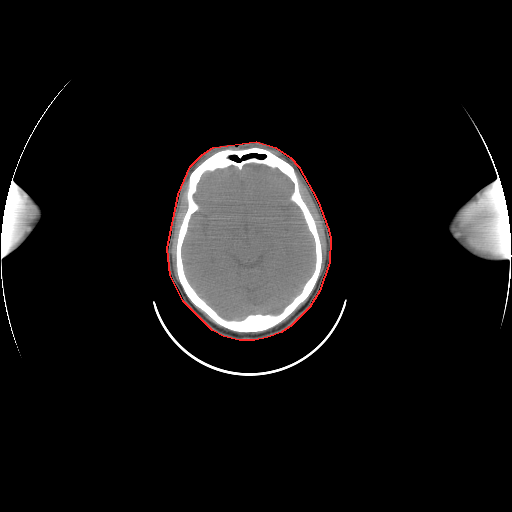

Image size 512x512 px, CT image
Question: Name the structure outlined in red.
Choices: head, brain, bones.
Answer: red: head.
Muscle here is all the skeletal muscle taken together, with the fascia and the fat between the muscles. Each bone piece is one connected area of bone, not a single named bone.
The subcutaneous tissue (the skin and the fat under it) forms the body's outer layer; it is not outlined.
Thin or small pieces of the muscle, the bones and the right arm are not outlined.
Outlines:
head: [[256,141],[275,147],[290,157],[298,166],[317,200],[328,229],[330,238],[329,262],[319,291],[309,307],[291,325],[281,332],[267,337],[254,340],[239,340],[223,336],[212,330],[183,301],[170,275],[167,248],[178,194],[190,166],[202,154],[213,147]]
muscle 1: [[497,180],[502,188],[503,195],[505,199],[509,227],[511,232],[511,260],[508,260],[507,259],[497,259],[496,258],[491,258],[480,255],[468,247],[461,239],[457,237],[452,228],[454,221],[458,213],[462,208],[473,200],[482,191],[484,192],[490,184]]
muscle 2: [[296,171],[307,188],[315,204],[320,220],[322,223],[322,226],[325,235],[324,264],[321,272],[322,261],[323,260],[322,244],[320,240],[320,236],[318,233],[318,229],[316,225],[316,221],[312,215],[307,204],[303,199],[300,192],[299,179],[296,173]]
muscle 3: [[187,180],[187,188],[185,193],[187,207],[178,229],[177,237],[176,238],[176,244],[175,245],[175,270],[177,278],[174,271],[174,265],[172,257],[172,244],[173,243],[173,237],[175,229],[175,221],[179,210],[179,206],[181,203],[181,198],[183,190]]
muscle 4: [[228,147],[229,147],[230,148],[245,148],[224,148],[223,149],[220,149],[219,150],[214,152],[212,154],[211,154],[209,156],[208,156],[206,158],[205,158],[210,153],[211,153],[213,151],[215,151],[218,149],[222,149],[223,148],[227,148]]
muscle 5: [[253,146],[263,146],[264,147],[266,147],[269,149],[271,149],[272,150],[273,150],[276,153],[277,153],[280,156],[279,156],[278,155],[277,155],[275,153],[274,153],[271,150],[270,150],[267,148],[265,148],[264,147],[260,147],[259,146]]
muscle 6: [[293,312],[294,312],[289,317],[289,318],[288,318],[285,321],[284,321],[283,322],[282,322],[287,317],[288,317]]
muscle 7: [[305,301],[305,302],[304,303],[303,304],[302,305],[301,306],[300,307],[299,308],[298,308],[297,309],[296,310],[295,311],[295,310],[296,309],[297,308],[298,307],[299,306],[300,305],[301,304],[302,303],[303,303],[304,302]]
bones: [[250,147],[267,149],[294,168],[298,179],[299,192],[315,221],[321,244],[322,260],[320,273],[311,293],[294,311],[281,322],[266,330],[237,332],[216,324],[188,298],[177,276],[176,245],[179,229],[188,207],[186,193],[191,172],[205,159],[220,150]], around a hole outlined by [[248,164],[258,164],[277,169],[291,182],[292,191],[289,199],[299,208],[313,238],[314,265],[300,291],[279,312],[250,313],[241,319],[229,319],[208,304],[189,282],[184,268],[182,246],[192,215],[200,208],[194,196],[204,174],[231,166],[240,170]]
left arm: [[495,180],[499,182],[502,188],[506,204],[509,227],[511,232],[511,260],[510,261],[507,259],[491,261],[480,259],[473,256],[463,249],[452,238],[447,229],[448,223],[454,212],[480,188],[482,188],[484,191],[487,188],[487,184]]
right arm: [[12,183],[17,184],[28,196],[30,196],[38,204],[41,210],[41,217],[38,223],[30,233],[28,237],[15,250],[11,252],[4,258],[2,258],[1,259],[0,258],[0,233],[2,229],[3,215],[4,214],[5,205],[6,204],[9,189]]
brain: [[248,164],[258,164],[277,169],[291,182],[292,191],[289,199],[299,208],[313,238],[314,265],[300,291],[279,312],[250,313],[241,319],[229,319],[208,304],[189,282],[184,268],[182,246],[192,215],[200,208],[194,196],[204,174],[231,166],[240,170]]